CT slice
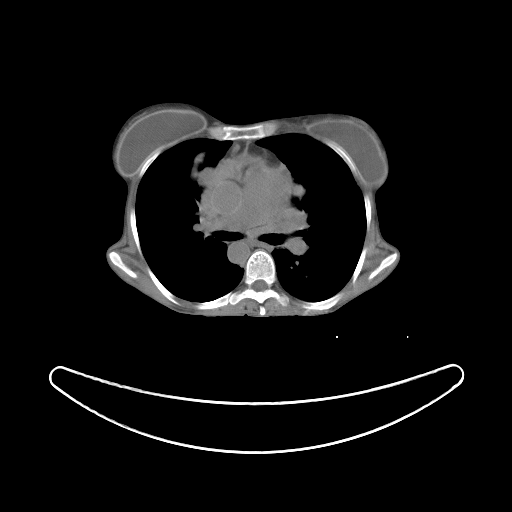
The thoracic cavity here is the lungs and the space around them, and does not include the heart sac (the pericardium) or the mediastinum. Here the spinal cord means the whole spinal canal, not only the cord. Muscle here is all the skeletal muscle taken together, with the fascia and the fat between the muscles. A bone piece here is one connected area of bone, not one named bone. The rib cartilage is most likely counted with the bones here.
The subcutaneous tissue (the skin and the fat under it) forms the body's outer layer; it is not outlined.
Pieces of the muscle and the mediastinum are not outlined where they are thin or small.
{"bones":[{"outer":[[256,250],[263,250],[272,256],[279,286],[290,297],[287,305],[283,306],[275,298],[269,297],[262,304],[264,315],[259,314],[260,305],[252,298],[213,309],[201,310],[194,307],[196,302],[210,301],[234,290],[242,280],[248,258]],"hole":[[257,280],[262,280],[263,281],[264,281],[265,282],[265,283],[266,284],[266,285],[267,286],[267,287],[265,289],[263,289],[262,290],[255,290],[252,287],[252,284],[255,281],[256,281]]},[[268,122],[275,123],[277,125],[278,127],[277,128],[276,133],[262,138],[258,138],[257,139],[219,140],[218,139],[210,137],[208,134],[208,129],[210,127],[213,127],[214,126],[237,126],[238,127],[243,127],[244,126],[251,126],[256,124],[267,123]],[[341,290],[343,292],[343,295],[341,297],[341,298],[335,305],[328,309],[324,309],[323,310],[310,310],[309,309],[304,309],[300,306],[300,302],[302,300],[304,301],[310,301],[311,302],[314,302],[315,301],[321,301],[322,300],[327,299],[333,296]],[[147,266],[148,266],[150,268],[150,269],[155,275],[157,279],[170,292],[171,292],[175,296],[176,299],[180,304],[179,305],[173,303],[167,298],[166,298],[161,293],[161,292],[155,285],[155,284],[151,279],[150,276],[148,274],[148,272],[147,271]],[[111,251],[115,251],[120,256],[123,262],[131,270],[132,270],[135,273],[136,273],[137,275],[137,277],[136,278],[133,278],[129,276],[120,268],[119,268],[117,266],[116,266],[112,263],[108,255],[108,254]],[[394,252],[396,252],[397,253],[397,257],[396,258],[396,259],[390,265],[389,265],[387,267],[384,268],[380,272],[379,272],[372,279],[369,280],[368,279],[368,276],[370,274],[370,273],[386,256],[387,256],[389,254],[390,254],[391,253],[393,253]],[[133,207],[134,207],[135,209],[135,223],[136,224],[139,243],[140,244],[140,247],[142,252],[142,256],[141,256],[138,252],[138,250],[133,237],[133,234],[131,229],[131,225],[130,224],[130,220],[129,219],[130,211]],[[325,141],[328,143],[330,143],[334,146],[336,146],[338,148],[339,148],[347,156],[348,156],[349,159],[356,166],[356,168],[357,169],[357,174],[356,175],[354,175],[352,173],[350,168],[344,161],[344,160],[334,150],[333,150],[329,146],[325,144]],[[363,245],[365,245],[367,247],[367,250],[365,254],[365,258],[364,259],[364,261],[363,262],[361,270],[356,278],[355,283],[353,284],[351,282],[350,279],[356,267],[356,265],[359,259],[359,257],[360,256],[360,254],[361,253]],[[365,194],[366,194],[369,197],[369,199],[370,200],[370,203],[371,204],[371,219],[370,220],[370,225],[369,226],[369,229],[368,230],[368,231],[367,231],[366,230],[366,213],[365,212],[365,204],[364,203],[364,199],[363,198],[363,195],[364,195]],[[161,147],[162,147],[162,150],[161,152],[157,156],[157,157],[149,165],[149,166],[147,168],[147,169],[145,171],[145,172],[143,174],[141,178],[140,178],[139,177],[139,172],[142,166],[145,163],[147,159],[155,151],[156,151]]],"thoracic_cavity":[[[289,132],[306,134],[334,151],[353,175],[362,194],[364,204],[365,234],[351,276],[339,291],[321,300],[300,299],[282,289],[272,255],[271,231],[285,216],[288,207],[292,205],[294,178],[278,156],[268,147],[260,145],[258,141],[272,135]],[[197,137],[231,141],[215,165],[212,176],[201,190],[199,207],[204,217],[227,237],[228,243],[225,250],[227,260],[243,269],[241,280],[234,289],[206,301],[190,301],[178,297],[158,279],[142,251],[135,208],[138,186],[150,165],[162,152],[172,146]]],"mediastinum":[[[258,139],[257,143],[271,150],[290,172],[293,178],[291,205],[287,207],[284,216],[270,231],[272,253],[263,249],[254,250],[247,258],[244,269],[228,260],[226,250],[229,239],[205,217],[200,207],[200,198],[204,186],[213,176],[216,165],[232,141]]],"torso":[[[164,101],[195,104],[229,123],[318,112],[342,112],[367,121],[387,151],[389,173],[375,199],[381,233],[401,254],[397,267],[377,286],[317,317],[191,316],[122,281],[105,259],[106,249],[121,235],[126,197],[126,184],[112,165],[111,147],[132,113]]],"spinal_cord":[[[257,280],[262,280],[263,281],[264,281],[265,282],[265,283],[266,284],[266,285],[267,286],[267,287],[265,289],[263,289],[262,290],[255,290],[252,287],[252,284],[255,281],[256,281]]],"muscle":[[[137,173],[138,173],[138,177],[140,180],[137,186],[135,196],[135,204],[129,211],[128,219],[132,237],[137,252],[141,257],[143,255],[148,265],[146,266],[147,274],[160,293],[170,302],[178,306],[181,304],[176,297],[190,302],[195,302],[193,304],[193,307],[196,310],[201,311],[203,310],[213,310],[229,304],[235,305],[244,299],[252,299],[257,302],[259,305],[258,314],[251,314],[250,313],[209,314],[208,313],[199,313],[188,311],[171,305],[160,299],[142,287],[135,280],[124,275],[116,267],[133,279],[136,279],[138,277],[137,273],[131,269],[124,262],[121,256],[115,250],[112,250],[123,239],[126,233],[127,206],[131,182],[127,175],[132,176]],[[358,171],[362,176],[364,182],[372,186],[374,221],[378,235],[381,240],[394,251],[386,255],[379,262],[369,273],[367,279],[369,281],[372,280],[384,269],[393,264],[377,279],[336,305],[344,295],[344,292],[342,290],[344,286],[349,281],[353,285],[356,283],[357,278],[362,270],[368,250],[368,247],[364,244],[364,240],[366,231],[369,231],[371,225],[372,204],[370,197],[366,193],[362,193],[354,177],[358,174]],[[290,295],[301,300],[299,302],[299,306],[304,310],[323,311],[324,310],[330,309],[327,311],[321,312],[320,313],[278,313],[277,314],[266,314],[266,309],[263,304],[267,299],[273,298],[275,299],[281,306],[285,307],[287,306],[291,301]],[[272,122],[286,122],[287,123],[302,123],[303,124],[307,124],[306,126],[307,131],[310,134],[320,139],[324,140],[324,143],[316,139],[314,137],[306,133],[303,133],[302,132],[294,132],[293,131],[289,131],[288,132],[277,132],[279,127],[275,122]],[[207,123],[208,123],[210,125],[213,123],[217,123],[218,124],[223,125],[214,125],[213,126],[210,126],[207,129],[207,134],[208,136],[197,136],[196,137],[190,137],[189,138],[184,139],[172,145],[170,147],[167,148],[165,150],[162,151],[163,150],[163,147],[162,146],[164,145],[167,145],[176,140],[178,140],[179,139],[182,139],[190,135],[192,133],[195,133],[196,132],[198,132],[202,130],[206,126]]],"breast_implant":[[[170,109],[181,109],[195,112],[204,118],[206,122],[205,126],[198,131],[192,132],[182,138],[176,139],[167,144],[162,145],[146,159],[138,172],[132,175],[125,174],[121,172],[117,166],[117,150],[126,130],[136,120],[140,118],[145,117],[158,111]],[[318,120],[347,120],[348,121],[353,121],[367,131],[375,140],[384,159],[385,175],[383,179],[377,183],[370,183],[369,184],[366,183],[363,176],[360,174],[357,166],[350,159],[348,155],[336,145],[334,145],[330,142],[310,133],[307,129],[308,124]]]}